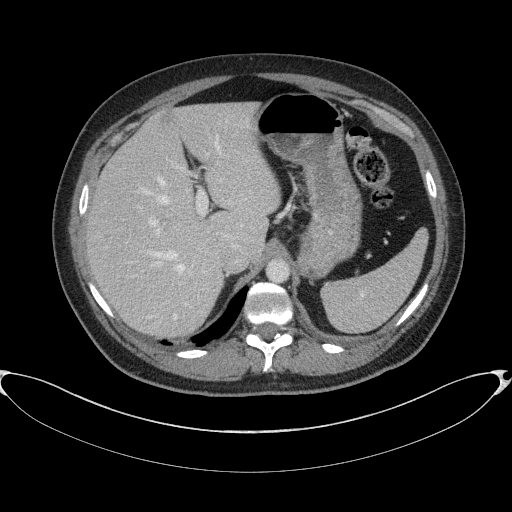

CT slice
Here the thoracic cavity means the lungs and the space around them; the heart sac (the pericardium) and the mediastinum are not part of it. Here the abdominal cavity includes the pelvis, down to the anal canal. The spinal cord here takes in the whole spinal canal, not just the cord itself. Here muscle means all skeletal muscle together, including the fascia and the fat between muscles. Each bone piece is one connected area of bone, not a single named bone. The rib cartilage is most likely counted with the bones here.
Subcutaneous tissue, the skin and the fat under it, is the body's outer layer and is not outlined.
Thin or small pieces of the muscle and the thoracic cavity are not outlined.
The abdominal cavity is outlined by [[345,341],[373,335],[399,317],[431,265],[433,212],[403,139],[338,101],[294,84],[240,76],[146,118],[108,156],[90,190],[84,253],[92,281],[122,321],[156,339],[196,335],[223,313],[263,258],[279,250],[292,265],[290,296],[304,321],[321,336]]. The muscle is outlined by [[206,381],[232,381],[262,373],[285,373],[286,374],[293,374],[294,375],[301,375],[302,376],[326,375],[327,374],[335,374],[340,372],[344,372],[351,369],[354,369],[371,361],[389,348],[420,318],[430,305],[430,303],[432,301],[438,288],[438,285],[440,282],[441,276],[447,260],[447,254],[448,253],[448,233],[447,232],[448,219],[447,217],[448,216],[448,211],[446,203],[445,189],[437,166],[436,160],[422,133],[416,124],[408,116],[385,102],[375,99],[364,93],[361,93],[343,84],[320,77],[306,75],[305,74],[285,73],[284,72],[250,72],[249,73],[241,73],[240,74],[228,74],[227,75],[209,76],[200,79],[188,81],[165,90],[117,120],[103,131],[92,144],[90,148],[86,152],[75,185],[74,192],[72,196],[70,216],[69,217],[69,222],[67,229],[69,233],[69,241],[70,242],[71,253],[74,262],[75,270],[81,287],[89,302],[93,313],[98,321],[110,335],[135,355],[143,359],[148,363],[162,370],[171,372],[174,374],[177,374],[188,378],[192,378],[198,380],[205,380]], around holes outlined by [[264,372],[273,371],[274,352],[292,342],[286,325],[294,313],[303,329],[328,342],[321,346],[330,353],[379,338],[412,313],[428,289],[424,280],[435,240],[429,197],[437,192],[429,170],[422,178],[411,147],[361,112],[294,84],[240,76],[146,118],[108,156],[92,188],[83,185],[79,213],[92,278],[88,286],[109,316],[149,344],[193,358],[207,354],[203,349],[219,341],[242,312],[251,326],[245,340],[263,352]] and by [[410,137],[413,137],[414,135],[413,134],[413,131],[405,123],[404,123],[393,114],[382,108],[380,108],[375,105],[373,105],[371,103],[362,99],[354,99],[352,101],[355,103],[359,103],[361,105],[366,107],[378,115],[382,119],[403,133],[408,135]] and by [[111,146],[114,146],[121,138],[123,134],[123,132],[125,130],[127,130],[129,129],[132,126],[133,126],[135,124],[135,123],[133,123],[132,124],[129,124],[129,125],[127,126],[124,130],[122,130],[114,134],[111,137],[109,141],[109,143]]. The bones appear in 9 outlined pieces: piece 1: [[264,372],[273,371],[272,357],[274,352],[281,346],[292,342],[293,338],[286,325],[293,317],[293,307],[290,297],[283,287],[270,282],[260,281],[249,288],[242,312],[244,318],[251,326],[245,340],[249,345],[257,347],[263,352],[265,360],[262,370]]; inner edge: [[266,340],[271,340],[272,339],[272,338],[273,337],[273,336],[279,330],[279,327],[277,325],[276,325],[273,323],[271,323],[270,322],[265,322],[264,323],[263,323],[262,324],[260,324],[257,326],[257,332],[260,335],[260,336],[262,338],[263,338]]; piece 2: [[410,137],[413,137],[414,135],[413,134],[413,131],[405,123],[404,123],[393,114],[382,108],[380,108],[375,105],[373,105],[371,103],[362,99],[354,99],[352,101],[355,103],[359,103],[361,105],[366,107],[378,115],[382,119],[403,133],[408,135]]; piece 3: [[395,326],[398,326],[404,320],[405,320],[412,313],[412,312],[421,302],[423,297],[425,295],[428,289],[428,283],[427,281],[425,281],[424,282],[424,283],[422,285],[414,298],[408,305],[408,306],[400,316],[400,317],[396,321],[394,325]]; piece 4: [[111,317],[113,317],[114,316],[113,312],[111,310],[109,306],[106,303],[104,299],[101,296],[101,295],[95,287],[94,284],[91,281],[89,281],[88,282],[88,286],[90,289],[90,291],[92,295],[94,297],[98,304],[102,308],[102,309],[109,316]]; piece 5: [[80,215],[83,215],[84,214],[86,210],[86,208],[87,207],[87,202],[88,201],[88,196],[89,195],[89,185],[87,182],[86,182],[83,185],[82,187],[82,190],[81,191],[81,194],[79,198],[79,213]]; piece 6: [[186,358],[193,358],[194,357],[199,357],[200,356],[202,356],[203,355],[205,355],[207,354],[207,351],[206,350],[204,350],[203,349],[199,349],[198,348],[195,348],[194,349],[184,349],[183,350],[179,350],[176,352],[176,355],[180,357],[185,357]]; piece 7: [[432,198],[435,198],[437,195],[437,192],[436,191],[436,186],[435,185],[434,180],[432,177],[432,175],[430,171],[427,169],[425,170],[424,172],[424,179],[426,183],[426,187],[427,188],[428,193],[429,195]]; piece 8: [[330,353],[335,353],[336,352],[340,352],[341,351],[343,351],[344,350],[344,348],[341,345],[340,345],[339,344],[335,344],[334,343],[322,343],[321,344],[321,346],[322,347],[322,348],[325,351],[326,351],[327,352],[329,352]]; piece 9: [[111,146],[114,146],[121,138],[123,134],[123,132],[125,130],[127,130],[129,129],[132,126],[133,126],[135,124],[135,123],[133,123],[132,124],[129,124],[129,125],[127,126],[124,130],[122,130],[114,134],[111,137],[109,141],[109,143]]. The thoracic cavity appears in 2 outlined pieces: piece 1: [[170,350],[178,350],[184,348],[194,348],[195,347],[205,348],[214,345],[219,341],[228,331],[241,312],[241,308],[248,287],[244,286],[230,300],[224,313],[211,326],[196,336],[170,340],[156,340],[140,335],[119,319],[131,333],[139,338],[153,346]]; piece 2: [[342,345],[359,345],[379,338],[392,329],[394,326],[393,325],[395,321],[398,318],[396,318],[393,322],[381,331],[368,338],[352,342],[332,341],[321,337],[312,331],[303,321],[293,305],[294,313],[303,329],[319,339],[325,340],[328,342],[339,343]]. The spinal cord is outlined by [[266,340],[271,340],[272,339],[272,338],[273,337],[273,336],[279,330],[279,327],[277,325],[276,325],[273,323],[271,323],[270,322],[265,322],[264,323],[263,323],[262,324],[260,324],[257,326],[257,332],[260,335],[260,336],[262,338],[263,338]]. The torso is outlined by [[209,397],[314,394],[349,387],[405,364],[423,348],[441,321],[463,265],[462,192],[428,119],[385,77],[355,64],[305,54],[204,56],[162,67],[123,85],[92,112],[78,133],[58,182],[51,222],[54,261],[66,299],[92,342],[119,370],[156,387]]. The mediastinum is outlined by [[289,294],[289,286],[291,283],[291,265],[289,263],[287,258],[281,252],[279,251],[271,252],[264,258],[260,266],[260,269],[258,270],[256,275],[252,278],[248,284],[248,286],[249,287],[254,282],[260,280],[270,281],[283,286],[288,291]].